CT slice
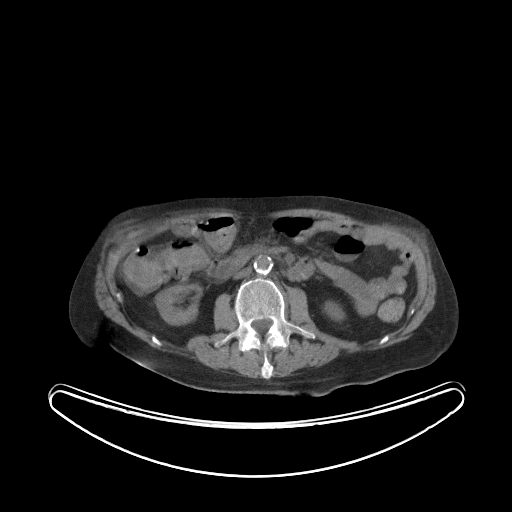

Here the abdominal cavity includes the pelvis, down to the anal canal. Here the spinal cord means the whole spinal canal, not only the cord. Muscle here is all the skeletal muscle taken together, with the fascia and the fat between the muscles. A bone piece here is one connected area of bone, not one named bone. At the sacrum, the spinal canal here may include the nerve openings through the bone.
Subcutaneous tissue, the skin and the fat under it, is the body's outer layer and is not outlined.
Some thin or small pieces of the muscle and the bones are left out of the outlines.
Outlines (x, y in pixels):
torso: (275, 195) (327, 195) (387, 206) (412, 214) (428, 226) (459, 305) (456, 337) (450, 348) (431, 364) (318, 396) (221, 393) (178, 384) (120, 357) (106, 343) (102, 345) (103, 351) (97, 351) (78, 339) (68, 317) (71, 288) (98, 233) (117, 212) (132, 205) (196, 196)
muscle: (200, 208) (230, 209) (246, 213) (315, 208) (338, 212) (371, 223) (389, 222) (421, 228) (429, 241) (436, 281) (433, 308) (412, 335) (405, 340) (372, 351) (342, 353) (305, 374) (270, 378) (274, 367) (269, 360) (267, 349) (275, 347) (285, 349) (294, 333) (308, 339) (316, 338) (314, 332) (286, 318) (286, 303) (283, 294) (287, 286) (297, 287) (304, 291) (309, 316) (320, 331) (359, 344) (380, 338) (378, 344) (382, 345) (389, 339) (388, 334) (397, 330) (406, 321) (417, 292) (418, 284) (412, 252) (405, 244) (379, 231) (327, 217) (309, 214) (268, 217) (262, 214) (245, 213) (200, 216) (134, 244) (117, 263) (113, 277) (118, 291) (115, 296) (118, 301) (122, 297) (125, 315) (129, 321) (153, 334) (151, 341) (159, 347) (162, 343) (158, 338) (183, 346) (193, 336) (209, 335) (215, 332) (213, 312) (216, 298) (222, 293) (230, 294) (238, 325) (216, 340) (213, 345) (217, 348) (236, 338) (237, 347) (242, 352) (251, 349) (262, 350) (263, 359) (260, 368) (262, 378) (225, 373) (193, 359) (153, 348) (107, 317) (98, 306) (94, 283) (104, 239) (114, 225) (131, 218)
spinal cord: (262, 319) (270, 319) (272, 321) (272, 323) (271, 324) (271, 325) (268, 328) (268, 329) (263, 334) (260, 334) (259, 333) (258, 333) (258, 332) (253, 327) (252, 327) (252, 326) (251, 325) (251, 324) (252, 323) (252, 322) (253, 322) (256, 320) (261, 320)
abdominal cavity: (243, 214) (327, 218) (405, 245) (417, 284) (405, 321) (362, 343) (343, 339) (316, 326) (303, 289) (287, 285) (283, 293) (259, 276) (239, 284) (233, 304) (230, 293) (220, 293) (213, 304) (215, 331) (193, 335) (183, 345) (130, 321) (114, 277) (134, 245) (196, 218)
bones 1: (258, 277) (271, 280) (281, 291) (285, 318) (315, 335) (315, 338) (308, 338) (294, 332) (285, 348) (267, 348) (266, 354) (273, 367) (272, 375) (267, 379) (261, 376) (262, 349) (242, 351) (236, 337) (217, 347) (214, 345) (239, 325) (233, 305) (238, 287) (242, 282) with a hole at (262, 319) (270, 319) (272, 321) (272, 323) (271, 324) (271, 325) (268, 328) (268, 329) (263, 334) (260, 334) (259, 333) (258, 333) (258, 332) (253, 327) (252, 327) (252, 326) (251, 325) (251, 324) (252, 323) (252, 322) (253, 322) (256, 320) (261, 320)
bones 2: (153, 335) (154, 335) (160, 341) (160, 342) (161, 343) (161, 345) (160, 345) (159, 346) (158, 345) (157, 345) (156, 344) (155, 344) (152, 341) (152, 339) (151, 338) (152, 337) (152, 336)